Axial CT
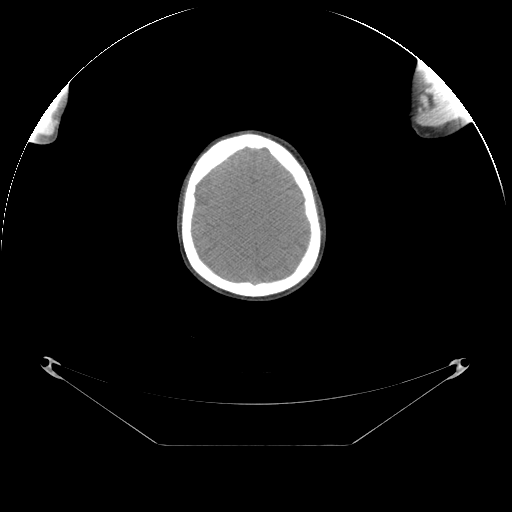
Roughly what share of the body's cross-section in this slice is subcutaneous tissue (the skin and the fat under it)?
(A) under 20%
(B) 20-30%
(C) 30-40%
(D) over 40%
(A) under 20%
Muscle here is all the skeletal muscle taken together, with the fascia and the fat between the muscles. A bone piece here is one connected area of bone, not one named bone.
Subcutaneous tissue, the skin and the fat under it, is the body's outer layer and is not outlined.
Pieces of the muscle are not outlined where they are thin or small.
right arm: 65,87 67,88 69,92 69,99 65,111 61,118 61,121 59,125 58,136 55,141 49,144 38,144 33,141 28,141 30,137 29,135 32,134 32,132 35,126 44,111 48,107 49,104 57,94
muscle 1: 427,65 429,66 445,82 446,84 447,84 447,85 457,96 467,110 467,113 465,115 449,120 447,123 440,124 436,126 421,126 416,123 413,118 413,113 416,106 416,98 421,86 421,78 427,69
muscle 2: 65,87 67,88 68,91 65,97 63,105 60,109 60,111 57,118 57,122 56,123 56,128 55,129 55,131 51,135 32,134 32,132 35,126 37,124 44,111 48,107 49,104 57,95 57,94 63,88
muscle 3: 309,178 311,180 313,188 315,191 317,197 317,200 318,201 319,209 320,210 321,222 322,223 322,230 323,231 322,233 322,241 321,225 319,220 319,215 318,214 317,205 316,204 316,201 313,192 313,188
head: 245,128 255,128 271,132 283,137 295,146 313,174 323,202 327,221 326,247 316,273 303,287 294,293 267,302 248,302 232,299 204,286 186,269 179,253 176,237 176,203 180,184 188,167 210,140 226,132
brain: 244,148 266,149 291,175 303,198 303,212 307,220 309,230 306,247 294,269 289,274 281,278 269,281 259,281 256,283 248,280 231,280 215,272 200,257 192,233 192,221 196,205 195,194 197,185 214,168
left arm: 419,59 429,66 447,84 463,104 470,116 469,118 468,117 467,118 467,123 465,124 465,126 451,135 441,138 434,138 433,139 422,138 418,136 414,132 410,127 408,121 405,117 405,113 408,107 410,79
bones: 244,132 261,134 279,142 299,161 307,174 312,188 321,233 319,254 314,267 307,276 288,289 264,296 239,295 219,288 204,279 190,265 184,251 181,238 181,215 184,195 190,172 196,160 202,152 216,141; inner edge: 244,148 266,149 291,175 303,198 303,212 307,220 309,230 306,247 294,269 289,274 281,278 269,281 259,281 256,283 248,280 231,280 215,272 200,257 192,233 192,221 196,205 195,194 197,185 214,168